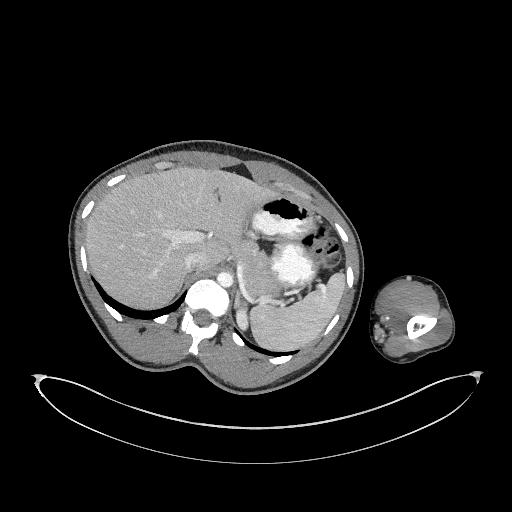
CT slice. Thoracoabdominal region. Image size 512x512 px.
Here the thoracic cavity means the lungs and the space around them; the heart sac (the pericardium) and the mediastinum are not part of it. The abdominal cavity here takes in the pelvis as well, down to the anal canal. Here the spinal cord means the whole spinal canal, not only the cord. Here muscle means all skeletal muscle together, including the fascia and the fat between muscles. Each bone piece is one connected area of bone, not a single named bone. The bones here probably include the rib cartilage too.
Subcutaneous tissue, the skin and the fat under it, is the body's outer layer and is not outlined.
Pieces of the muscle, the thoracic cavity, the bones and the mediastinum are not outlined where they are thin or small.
Outlines:
mediastinum: (230, 297) (231, 295) (231, 292) (232, 291) (232, 277) (228, 271) (226, 270) (224, 271) (223, 270) (218, 270) (211, 273) (205, 277) (209, 277) (210, 278) (214, 278) (215, 279) (216, 279) (217, 277) (218, 278) (218, 281) (220, 284) (221, 284) (222, 286) (226, 289)
left arm: (394, 363) (413, 362) (429, 353) (440, 351) (446, 348) (452, 342) (454, 338) (455, 320) (445, 293) (442, 288) (436, 282) (427, 277) (416, 274) (404, 274) (396, 276) (388, 280) (380, 286) (372, 298) (370, 304) (369, 323) (368, 324) (370, 341) (373, 347) (382, 357)
thoracic cavity 1: (150, 319) (152, 319) (158, 315) (168, 313) (176, 309) (181, 304) (184, 297) (184, 293) (173, 304) (167, 306) (165, 308) (149, 311) (134, 310) (116, 302) (115, 300) (112, 299) (103, 291) (99, 284) (95, 280) (92, 279) (103, 299) (122, 314) (137, 318) (149, 318)
thoracic cavity 2: (271, 356) (278, 356) (282, 354) (288, 354) (289, 353) (293, 354) (297, 351) (292, 351) (291, 352) (272, 352) (271, 351) (266, 350) (263, 348) (260, 348) (257, 346) (252, 345) (243, 338) (246, 344) (251, 348) (259, 352) (261, 352) (262, 353) (264, 353)
muscle 1: (240, 387) (256, 387) (278, 380) (307, 365) (334, 340) (350, 310) (359, 275) (357, 248) (348, 225) (312, 186) (272, 162) (243, 160) (208, 151) (182, 150) (142, 159) (107, 175) (88, 192) (77, 211) (74, 223) (76, 265) (87, 297) (113, 338) (127, 353) (142, 361) (166, 364) (193, 355) (188, 351) (191, 336) (179, 329) (183, 305) (171, 312) (164, 324) (124, 315) (121, 322) (117, 321) (104, 307) (89, 272) (86, 273) (82, 269) (79, 248) (83, 244) (86, 219) (82, 219) (80, 214) (89, 200) (93, 199) (95, 203) (109, 188) (105, 183) (111, 177) (120, 173) (129, 177) (157, 170) (153, 164) (159, 160) (173, 163) (168, 168) (160, 169) (180, 166) (222, 167) (242, 163) (253, 175) (269, 183) (281, 181) (310, 194) (310, 201) (347, 233) (349, 240) (343, 242) (343, 245) (346, 266) (350, 265) (354, 272) (354, 284) (351, 288) (346, 287) (338, 309) (340, 318) (325, 336) (320, 335) (294, 354) (289, 361) (273, 365) (268, 361) (270, 356) (246, 345) (241, 347) (234, 343) (228, 310) (219, 319) (217, 334) (199, 343) (198, 354) (195, 356) (205, 367) (222, 380)
muscle 2: (395, 357) (401, 356) (411, 351) (418, 351) (441, 344) (450, 335) (451, 321) (449, 314) (445, 306) (437, 296) (435, 291) (427, 284) (424, 284) (419, 281) (410, 279) (397, 280) (386, 286) (381, 291) (376, 300) (374, 313) (374, 336) (375, 340) (377, 345) (383, 352), around a hole outlined by (410, 339) (414, 339) (418, 336) (430, 330) (435, 325) (437, 321) (437, 319) (436, 317) (434, 317) (433, 316) (430, 316) (427, 314) (424, 314) (423, 313) (421, 313) (420, 314) (416, 314) (412, 316) (407, 321) (407, 323) (406, 324) (406, 329) (407, 330) (407, 335)
spinal cord: (202, 326) (204, 325) (208, 325) (210, 323) (210, 322) (212, 320) (213, 320) (213, 319) (212, 318) (212, 316) (211, 314) (208, 311) (207, 311) (205, 309) (198, 309) (196, 310) (193, 313) (193, 317) (194, 318) (194, 321) (197, 324) (199, 325) (201, 325)
bones 1: (194, 355) (197, 354) (197, 345) (203, 338) (211, 338) (216, 334) (219, 326) (218, 319) (226, 313) (229, 305) (228, 294) (219, 284) (217, 278) (216, 280) (204, 278) (194, 282) (188, 288) (182, 303) (184, 305) (184, 312) (180, 321) (180, 329) (192, 336) (189, 351); inner edge: (202, 326) (204, 325) (208, 325) (210, 323) (210, 322) (212, 320) (213, 320) (213, 319) (212, 318) (212, 316) (211, 314) (208, 311) (207, 311) (205, 309) (198, 309) (196, 310) (193, 313) (193, 317) (194, 318) (194, 321) (197, 324) (199, 325) (201, 325)
bones 2: (410, 339) (414, 339) (418, 336) (430, 330) (435, 325) (437, 321) (437, 319) (436, 317) (434, 317) (433, 316) (430, 316) (427, 314) (424, 314) (423, 313) (421, 313) (420, 314) (416, 314) (412, 316) (407, 321) (407, 323) (406, 324) (406, 329) (407, 330) (407, 335)
bones 3: (309, 200) (311, 199) (311, 196) (305, 193) (303, 191) (299, 189) (297, 189) (293, 187) (291, 185) (289, 185) (288, 184) (285, 184) (281, 182) (276, 182) (275, 183) (282, 187) (287, 187) (288, 189) (293, 191) (298, 195) (300, 195)
bones 4: (273, 364) (279, 364) (280, 363) (283, 363) (284, 362) (285, 362) (286, 361) (287, 361) (288, 360) (289, 360) (292, 357) (292, 355) (291, 354) (289, 354) (288, 355) (282, 355) (281, 356) (279, 356) (278, 357) (271, 357) (269, 359) (269, 361) (271, 363) (272, 363)
bones 5: (119, 321) (121, 321) (122, 320) (122, 316) (121, 315) (121, 314) (119, 312) (118, 312) (114, 308) (113, 308) (111, 306) (110, 306) (106, 302) (105, 302) (104, 301) (104, 305) (107, 309) (107, 310) (112, 315) (112, 316) (113, 317) (114, 317) (117, 320) (118, 320)
bones 6: (86, 272) (87, 272) (88, 271) (88, 270) (87, 269) (87, 260) (86, 259) (86, 256) (85, 255) (85, 248) (84, 247) (84, 245) (82, 245) (81, 246) (81, 247) (80, 248) (80, 257) (81, 258) (81, 262) (82, 263) (82, 266) (83, 267) (83, 269)
bones 7: (348, 287) (351, 287) (352, 286) (352, 285) (353, 284) (353, 272) (352, 271) (352, 269) (351, 268) (351, 267) (350, 266) (347, 266) (346, 267) (346, 281) (347, 282) (347, 286)
bones 8: (323, 335) (325, 335) (333, 327) (333, 326) (336, 323) (336, 322) (338, 320) (338, 319) (339, 318) (339, 315) (338, 314) (338, 313) (336, 313) (335, 314) (335, 315) (332, 318) (332, 319) (330, 321) (330, 322) (328, 324) (328, 325) (324, 330) (324, 331) (323, 332)
bones 9: (82, 218) (85, 218) (87, 216) (87, 215) (90, 212) (90, 211) (91, 210) (91, 209) (93, 207) (93, 205) (94, 204) (94, 201) (93, 200) (91, 200) (90, 201) (89, 201) (87, 203) (87, 204) (84, 207) (84, 208) (82, 211) (82, 213) (81, 214) (81, 217)
bones 10: (108, 186) (111, 186) (112, 185) (113, 185) (114, 184) (115, 184) (116, 183) (117, 183) (118, 182) (121, 181) (124, 178) (125, 178) (126, 175) (125, 174) (120, 174) (119, 175) (117, 175) (116, 176) (115, 176) (114, 177) (111, 178) (106, 183) (106, 184)
bones 11: (345, 242) (346, 242) (348, 240) (348, 239) (347, 238) (347, 235) (346, 234) (346, 233) (344, 231) (344, 230) (337, 223) (335, 223) (335, 224) (334, 225) (335, 226) (335, 228) (337, 230) (337, 231) (338, 232) (338, 233) (339, 234) (342, 241) (344, 241)
bones 12: (241, 346) (243, 346) (244, 345) (245, 345) (245, 343) (244, 342) (244, 341) (242, 339) (242, 338) (235, 331) (233, 331) (232, 332) (232, 338) (233, 339) (233, 340) (235, 342) (235, 343) (236, 343) (238, 345) (240, 345)
bones 13: (158, 323) (164, 323) (166, 321) (166, 320) (168, 318) (168, 317) (169, 316) (169, 313) (168, 314) (164, 314) (163, 315) (161, 315) (160, 316) (158, 316) (157, 317) (156, 317) (155, 318) (154, 318) (153, 319) (153, 320) (155, 322) (157, 322)
abdominal cavity: (272, 351) (301, 349) (337, 312) (346, 282) (343, 246) (333, 220) (306, 199) (253, 176) (242, 164) (151, 171) (126, 178) (102, 195) (86, 218) (84, 244) (90, 275) (108, 295) (134, 309) (158, 309) (173, 303) (197, 279) (226, 269) (233, 277) (228, 309) (232, 327)
torso: (240, 395) (261, 394) (290, 385) (316, 370) (337, 348) (351, 325) (361, 297) (365, 264) (360, 238) (347, 214) (324, 185) (283, 157) (214, 139) (181, 140) (152, 147) (106, 169) (77, 197) (67, 236) (77, 293) (102, 337) (129, 364) (154, 372) (192, 366) (216, 386)